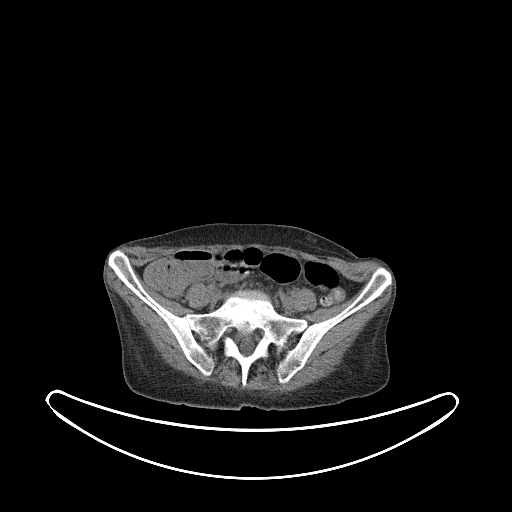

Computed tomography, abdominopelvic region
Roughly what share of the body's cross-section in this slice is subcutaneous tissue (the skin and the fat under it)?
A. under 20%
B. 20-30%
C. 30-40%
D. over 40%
Answer: C. 30-40%
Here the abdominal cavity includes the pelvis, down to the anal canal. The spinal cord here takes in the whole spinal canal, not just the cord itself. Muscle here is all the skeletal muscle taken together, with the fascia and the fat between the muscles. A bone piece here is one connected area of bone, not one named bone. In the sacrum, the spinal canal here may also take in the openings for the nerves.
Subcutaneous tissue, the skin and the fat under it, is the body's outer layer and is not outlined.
{"abdominal_cavity":[{"outer":[[248,246],[328,263],[348,280],[361,286],[343,303],[330,307],[316,307],[313,291],[296,289],[292,306],[298,311],[311,311],[300,317],[279,313],[270,297],[259,289],[235,290],[217,308],[195,312],[153,290],[142,280],[142,268],[153,259],[180,250]],"hole":[[197,283],[200,283],[201,284],[203,284],[206,288],[210,296],[210,299],[209,301],[206,304],[205,304],[203,306],[199,308],[196,308],[195,307],[190,306],[190,305],[186,300],[186,294],[188,290],[193,284],[196,284]]}],"muscle":[[[107,266],[165,322],[186,359],[204,376],[210,376],[215,366],[208,350],[215,350],[220,342],[223,354],[237,361],[243,387],[247,384],[251,366],[269,356],[269,347],[273,345],[279,354],[295,335],[299,335],[296,342],[286,350],[275,370],[278,382],[287,383],[304,367],[331,328],[379,297],[392,281],[392,287],[387,303],[366,324],[336,370],[295,390],[263,395],[258,391],[201,383],[164,363],[123,300],[109,285]],[[232,243],[258,243],[265,245],[279,245],[297,249],[317,256],[333,256],[349,262],[371,260],[378,262],[382,265],[379,265],[374,269],[358,295],[343,309],[331,317],[317,322],[309,323],[301,316],[307,313],[311,313],[312,311],[298,310],[293,306],[294,293],[296,290],[310,290],[315,295],[316,308],[330,308],[343,304],[362,286],[360,283],[348,279],[328,262],[306,259],[282,250],[264,249],[254,245],[248,245],[243,247],[225,247],[220,249],[180,249],[149,260],[139,271],[141,280],[157,294],[192,309],[194,312],[189,312],[180,316],[164,307],[144,288],[136,275],[129,257],[119,248],[123,246],[136,245],[148,248],[157,246],[180,247],[202,244],[207,245]],[[197,283],[200,283],[201,284],[203,284],[206,288],[210,296],[210,299],[209,301],[206,304],[205,304],[203,306],[199,308],[196,308],[195,307],[190,306],[190,305],[186,300],[186,294],[188,290],[193,284],[196,284]]],"spinal_cord":[[[230,327],[233,327],[236,330],[236,332],[241,336],[249,336],[251,335],[256,329],[260,329],[263,332],[263,335],[261,338],[255,343],[255,345],[252,352],[249,355],[244,355],[240,351],[238,343],[237,342],[235,342],[232,338],[227,334],[227,330]]],"bones":[{"outer":[[116,249],[143,288],[180,317],[259,290],[279,314],[317,323],[349,305],[377,267],[392,280],[331,327],[287,382],[276,370],[295,334],[279,353],[271,344],[243,386],[238,361],[220,341],[207,350],[210,375],[187,359],[166,322],[108,265]],"hole":[[230,327],[233,327],[236,330],[236,332],[241,336],[249,336],[251,335],[256,329],[260,329],[263,332],[263,335],[261,338],[255,343],[255,345],[252,352],[249,355],[244,355],[240,351],[238,343],[237,342],[235,342],[232,338],[227,334],[227,330]]}],"torso":[[[216,222],[296,226],[326,237],[357,256],[375,256],[385,261],[396,279],[396,296],[386,333],[390,364],[387,384],[365,397],[334,405],[283,411],[250,406],[239,410],[191,407],[133,392],[122,374],[119,335],[102,277],[104,260],[108,252],[122,242]]]}